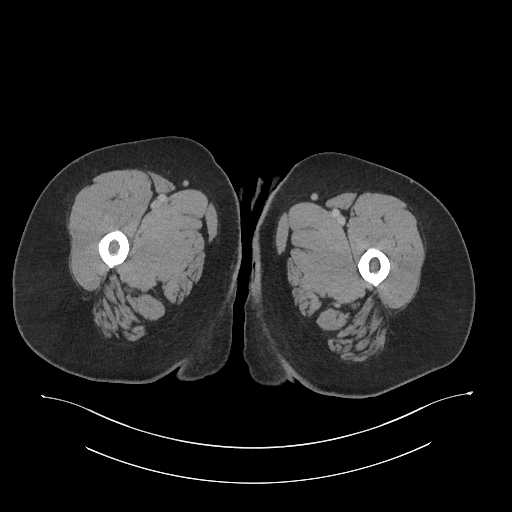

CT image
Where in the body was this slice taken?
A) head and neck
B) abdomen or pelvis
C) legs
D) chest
Answer: C) legs
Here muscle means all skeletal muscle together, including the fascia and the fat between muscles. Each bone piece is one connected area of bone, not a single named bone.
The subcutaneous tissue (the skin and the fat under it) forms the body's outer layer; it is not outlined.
Outlined structures:
left leg 1: (329, 151) (353, 155) (393, 169) (427, 188) (454, 218) (464, 239) (474, 275) (474, 315) (458, 356) (444, 367) (371, 397) (325, 395) (297, 381) (276, 386) (259, 384) (250, 376) (242, 353) (243, 306) (248, 293) (252, 238) (271, 176) (279, 172) (283, 176) (305, 157)
left leg 2: (259, 176) (260, 176) (263, 179) (263, 184) (261, 188) (261, 191) (254, 205) (254, 207) (253, 209) (251, 210) (250, 209) (251, 200) (254, 194) (254, 192) (256, 188) (256, 185) (257, 184) (257, 180)
right leg: (169, 135) (187, 137) (201, 143) (211, 152) (234, 189) (243, 187) (240, 203) (241, 259) (228, 359) (216, 373) (193, 381) (177, 379) (175, 371) (142, 384) (95, 381) (66, 372) (44, 360) (27, 345) (14, 319) (12, 272) (29, 214) (52, 177) (77, 157) (112, 144)
muscle 1: (124, 168) (146, 168) (182, 188) (201, 190) (214, 204) (218, 218) (218, 232) (206, 250) (202, 275) (174, 319) (161, 330) (125, 347) (110, 343) (100, 334) (93, 320) (92, 301) (81, 295) (71, 277) (68, 267) (70, 238) (66, 228) (68, 213) (77, 192) (97, 174), around a hole outlined by (117, 229) (123, 232) (127, 237) (127, 239) (129, 243) (129, 250) (128, 251) (128, 253) (127, 254) (126, 258) (121, 263) (117, 264) (113, 267) (110, 268) (103, 261) (99, 254) (99, 252) (98, 251) (98, 243) (100, 239) (105, 234) (106, 234) (108, 232) (110, 232)
muscle 2: (349, 190) (370, 190) (400, 198) (411, 207) (425, 237) (425, 259) (416, 295) (394, 319) (389, 341) (385, 349) (377, 357) (357, 363) (347, 363) (340, 360) (304, 323) (293, 305) (286, 277) (286, 266) (277, 255) (274, 242) (279, 216) (292, 204); inner edge: (370, 247) (375, 247) (383, 252) (387, 256) (390, 263) (390, 267) (389, 268) (389, 272) (388, 274) (386, 277) (382, 281) (381, 281) (378, 284) (378, 285) (376, 286) (374, 286) (371, 283) (366, 281) (362, 277) (358, 270) (358, 267) (357, 266) (357, 263) (361, 255)
bones 1: (370, 247) (375, 247) (383, 252) (387, 256) (390, 263) (390, 267) (389, 268) (389, 272) (388, 274) (386, 277) (382, 281) (381, 281) (378, 284) (378, 285) (376, 286) (374, 286) (371, 283) (366, 281) (362, 277) (358, 270) (358, 267) (357, 266) (357, 263) (361, 255)
bones 2: (117, 229) (123, 232) (127, 237) (127, 239) (129, 243) (129, 250) (128, 251) (128, 253) (127, 254) (126, 258) (121, 263) (117, 264) (113, 267) (110, 268) (103, 261) (99, 254) (99, 252) (98, 251) (98, 243) (100, 239) (105, 234) (106, 234) (108, 232) (110, 232)